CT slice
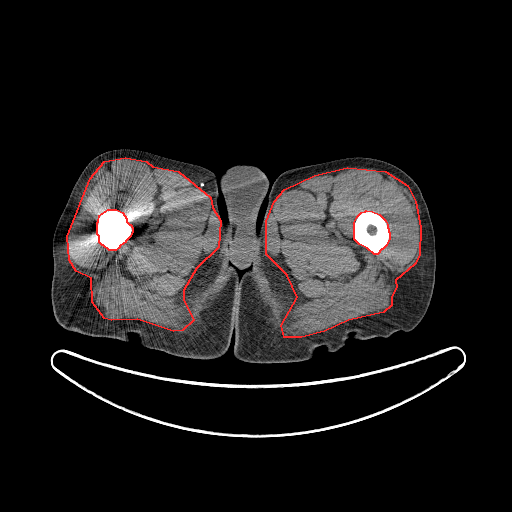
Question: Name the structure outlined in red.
Answer: red: muscle.
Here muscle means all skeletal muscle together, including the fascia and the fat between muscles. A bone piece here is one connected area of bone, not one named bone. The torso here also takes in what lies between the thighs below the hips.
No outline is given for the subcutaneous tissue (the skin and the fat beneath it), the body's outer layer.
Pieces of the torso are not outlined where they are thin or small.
The muscle appears in 2 outlined pieces: piece 1: 347 167; 385 171; 407 185; 415 201; 420 227; 419 255; 414 264; 395 280; 396 287; 391 296; 391 305; 383 312; 348 320; 324 331; 301 337; 284 337; 281 325; 297 297; 287 275; 266 254; 266 221; 274 201; 284 189; 314 175, around a hole outlined by 366 210; 372 211; 379 214; 385 220; 387 224; 387 227; 388 228; 388 231; 389 232; 389 238; 386 245; 382 249; 381 249; 377 254; 374 254; 367 248; 359 244; 354 239; 354 222; 357 216; 361 212; 365 211; piece 2: 125 157; 146 161; 152 166; 178 171; 210 197; 212 207; 220 220; 218 247; 196 268; 183 290; 183 299; 193 320; 182 330; 173 331; 137 319; 111 320; 104 318; 92 302; 91 278; 76 271; 69 260; 67 236; 90 178; 104 161; inner edge: 108 209; 116 209; 122 212; 126 218; 126 221; 129 224; 130 224; 132 227; 132 231; 130 236; 125 241; 125 242; 120 245; 118 248; 115 250; 109 250; 103 245; 102 245; 99 242; 99 236; 97 234; 97 222; 98 221; 99 215. The right leg is outlined by 119 148; 143 150; 196 164; 217 177; 218 207; 224 222; 228 254; 238 274; 234 331; 227 351; 218 358; 186 358; 151 349; 143 346; 135 333; 129 334; 129 341; 84 335; 65 329; 54 317; 52 239; 57 222; 86 165; 95 156. The torso is outlined by 235 164; 252 164; 257 166; 265 173; 269 182; 267 194; 260 205; 256 219; 254 255; 252 258; 251 264; 245 270; 244 269; 237 270; 230 258; 225 226; 225 222; 228 219; 227 210; 224 197; 218 183; 218 178; 220 177; 226 168. The bones appear in 2 outlined pieces: piece 1: 366 210; 372 211; 379 214; 385 220; 387 224; 387 227; 388 228; 388 231; 389 232; 389 238; 386 245; 382 249; 381 249; 377 254; 374 254; 367 248; 359 244; 354 239; 354 222; 357 216; 361 212; 365 211; piece 2: 108 209; 116 209; 122 212; 126 218; 126 221; 129 224; 130 224; 132 227; 132 231; 130 236; 125 241; 125 242; 120 245; 118 248; 115 250; 109 250; 103 245; 102 245; 99 242; 99 236; 97 234; 97 222; 98 221; 99 215. The left leg is outlined by 356 156; 380 159; 399 167; 418 185; 426 202; 434 230; 436 268; 425 315; 410 331; 364 340; 351 335; 338 350; 329 351; 323 345; 303 361; 251 363; 237 359; 233 348; 239 276; 252 264; 257 230; 271 185; 288 169.